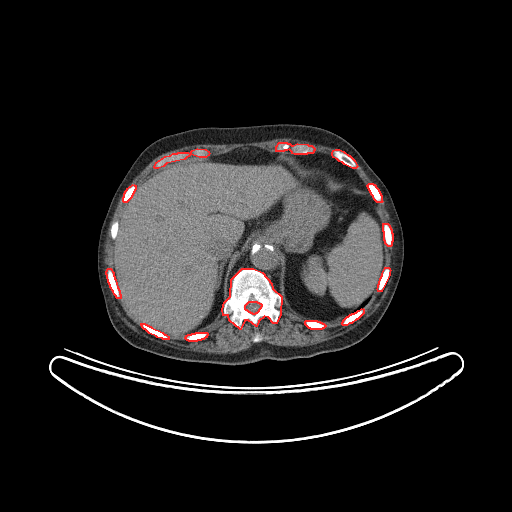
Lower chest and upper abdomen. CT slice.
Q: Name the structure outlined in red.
A: red: bones.
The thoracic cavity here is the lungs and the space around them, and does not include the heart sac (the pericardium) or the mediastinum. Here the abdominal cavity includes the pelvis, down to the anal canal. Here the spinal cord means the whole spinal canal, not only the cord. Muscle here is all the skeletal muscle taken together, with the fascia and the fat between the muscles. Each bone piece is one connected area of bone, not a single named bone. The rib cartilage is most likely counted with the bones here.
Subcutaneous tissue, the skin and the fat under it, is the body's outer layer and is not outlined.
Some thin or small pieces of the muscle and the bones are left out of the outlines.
The bones appear in 13 outlined pieces: piece 1: 242 268; 253 268; 262 272; 271 283; 272 288; 281 296; 280 314; 276 323; 273 323; 268 317; 264 316; 258 321; 256 326; 248 320; 244 320; 240 329; 229 320; 228 315; 223 315; 222 309; 224 302; 230 296; 231 279, around a hole outlined by 249 301; 256 301; 257 302; 258 302; 259 303; 260 303; 261 304; 261 306; 260 307; 260 308; 258 310; 258 311; 256 313; 255 313; 254 314; 253 314; 252 313; 251 313; 250 312; 249 312; 247 310; 246 310; 245 309; 245 305; piece 2: 197 148; 205 149; 208 151; 209 153; 208 155; 205 157; 199 157; 190 154; 184 159; 166 163; 163 166; 158 168; 155 168; 154 167; 156 162; 165 156; 170 155; 173 153; 177 153; 178 152; 188 152; 190 153; 192 150; piece 3: 279 142; 286 142; 287 143; 289 143; 291 145; 293 145; 297 143; 307 144; 308 145; 311 145; 314 148; 314 150; 312 153; 307 153; 306 154; 294 154; 292 153; 292 152; 289 149; 287 150; 284 150; 283 151; 276 151; 276 146; piece 4: 335 149; 339 149; 343 151; 348 155; 349 155; 354 160; 357 166; 355 168; 352 168; 344 164; 342 162; 339 161; 337 159; 333 157; 332 155; 332 152; 333 150; piece 5: 108 268; 110 268; 113 272; 113 275; 114 276; 114 278; 115 279; 117 287; 119 290; 119 293; 120 294; 120 298; 117 298; 116 297; 116 296; 114 294; 113 291; 110 287; 110 285; 108 282; 107 275; 106 274; 106 271; piece 6: 141 323; 144 323; 145 324; 146 324; 147 325; 148 325; 149 326; 150 326; 151 327; 162 332; 164 334; 165 334; 168 336; 168 339; 163 339; 162 338; 157 337; 156 336; 149 333; 145 329; 144 329; 142 327; 142 326; 141 325; piece 7: 383 223; 387 223; 389 225; 389 226; 390 227; 390 228; 391 229; 391 232; 392 233; 392 241; 391 242; 391 245; 390 246; 388 246; 385 243; 385 241; 384 240; 384 232; 383 231; piece 8: 362 308; 363 309; 363 313; 357 319; 356 319; 351 323; 349 323; 346 325; 343 325; 342 324; 342 322; 343 321; 343 320; 347 316; 348 316; 350 314; 351 314; 352 313; 354 313; 355 312; 356 312; 358 310; 359 310; piece 9: 385 267; 388 267; 389 268; 390 270; 389 272; 389 275; 381 291; 378 291; 377 289; 378 287; 378 284; 379 283; 380 278; 382 275; 382 273; piece 10: 196 332; 206 332; 207 333; 207 335; 206 336; 206 337; 205 337; 203 339; 201 339; 200 340; 197 340; 196 341; 189 341; 188 340; 187 340; 185 338; 185 337; 186 336; 186 335; 187 335; 188 334; 191 334; 192 333; 195 333; piece 11: 369 183; 372 183; 373 184; 374 184; 375 185; 375 186; 378 189; 378 190; 381 195; 381 200; 382 201; 381 202; 377 202; 374 199; 373 196; 371 194; 371 193; 370 192; 370 191; 367 186; 367 185; piece 12: 306 320; 316 320; 317 321; 319 321; 320 322; 321 322; 322 323; 323 323; 325 325; 325 326; 323 328; 322 328; 321 329; 311 329; 310 328; 309 328; 305 324; 305 321; piece 13: 133 184; 134 185; 135 185; 135 189; 134 190; 134 191; 133 192; 133 193; 132 194; 132 195; 131 196; 131 197; 126 202; 124 202; 123 201; 123 197; 124 196; 124 193; 125 192; 125 191; 127 189; 127 188. The spinal cord is outlined by 249 301; 256 301; 257 302; 258 302; 259 303; 260 303; 261 304; 261 306; 260 307; 260 308; 258 310; 258 311; 256 313; 255 313; 254 314; 253 314; 252 313; 251 313; 250 312; 249 312; 247 310; 246 310; 245 309; 245 305. The muscle appears in 3 outlined pieces: piece 1: 123 193; 122 201; 126 203; 125 207; 119 222; 115 219; 110 226; 110 237; 113 240; 113 268; 108 267; 105 271; 107 282; 115 297; 117 299; 121 297; 129 311; 141 322; 141 327; 149 334; 163 340; 168 340; 169 335; 184 335; 189 342; 203 340; 208 333; 200 330; 212 323; 221 312; 224 317; 228 316; 228 320; 240 330; 246 320; 254 327; 264 317; 276 324; 281 314; 280 307; 283 301; 291 312; 305 320; 304 324; 311 330; 323 329; 326 325; 322 322; 334 323; 343 319; 341 322; 343 326; 351 324; 364 313; 363 307; 374 292; 382 291; 391 271; 385 264; 386 245; 388 247; 392 245; 393 233; 390 225; 384 222; 379 208; 378 203; 383 201; 382 195; 394 230; 395 260; 392 280; 384 299; 371 315; 353 329; 322 342; 305 346; 280 346; 260 342; 263 337; 256 332; 251 338; 251 341; 255 343; 247 349; 235 353; 208 353; 171 347; 151 340; 127 326; 117 315; 110 300; 104 274; 104 243; 110 221; piece 2: 283 137; 295 138; 300 140; 304 140; 314 144; 319 144; 320 145; 336 148; 332 150; 331 152; 332 156; 319 152; 314 152; 315 148; 311 144; 302 143; 301 142; 297 142; 291 144; 286 141; 279 141; 275 146; 275 151; 270 151; 263 148; 254 147; 253 146; 244 146; 232 149; 224 153; 212 154; 211 155; 209 155; 210 153; 207 149; 201 147; 197 147; 192 149; 190 152; 188 151; 178 151; 161 157; 155 162; 153 166; 156 169; 152 171; 151 173; 144 178; 139 185; 136 186; 133 183; 128 186; 132 180; 154 158; 163 153; 174 149; 195 144; 247 143; 248 142; 267 141; 275 138; 282 138; piece 3: 356 162; 357 162; 362 167; 362 168; 364 170; 364 171; 367 174; 367 175; 374 183; 373 183; 372 182; 369 182; 366 185; 365 184; 365 183; 363 181; 363 180; 354 170; 354 169; 355 169; 358 166; 357 165; 357 163. The mediastinum appears in 2 outlined pieces: piece 1: 257 244; 271 246; 278 254; 280 262; 279 286; 281 293; 279 294; 273 288; 272 283; 262 271; 253 267; 242 267; 238 269; 234 273; 234 277; 230 279; 229 296; 227 297; 228 276; 234 268; 238 258; 248 248; 250 248; 253 245; piece 2: 313 153; 319 153; 330 156; 344 165; 353 169; 362 180; 365 185; 365 187; 363 189; 360 189; 354 187; 350 182; 343 182; 340 180; 337 180; 325 167; 321 167; 317 165; 311 167; 303 166; 295 158; 295 156; 296 155; 306 155. The torso is outlined by 274 123; 311 125; 341 136; 360 153; 388 189; 403 231; 404 257; 396 290; 385 313; 375 328; 359 342; 341 350; 306 358; 222 365; 172 359; 134 347; 117 333; 109 320; 97 271; 100 229; 118 185; 138 155; 163 136; 199 127. The thoracic cavity is outlined by 368 298; 369 298; 369 299; 368 300; 368 301; 365 304; 365 305; 364 305; 361 308; 360 308; 359 309; 358 309; 356 311; 355 311; 354 312; 353 312; 359 306; 360 306; 361 305; 361 304; 362 304. The abdominal cavity is outlined by 244 147; 293 154; 305 168; 325 168; 337 181; 367 187; 383 218; 385 263; 377 287; 338 321; 304 319; 282 298; 278 252; 257 243; 228 274; 227 298; 217 317; 199 331; 168 335; 130 311; 114 275; 114 240; 126 204; 166 164.